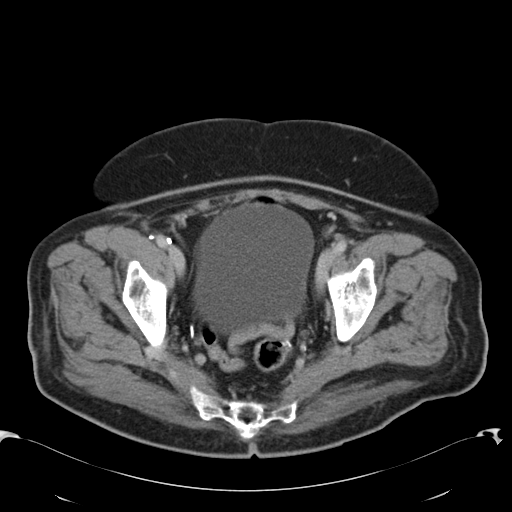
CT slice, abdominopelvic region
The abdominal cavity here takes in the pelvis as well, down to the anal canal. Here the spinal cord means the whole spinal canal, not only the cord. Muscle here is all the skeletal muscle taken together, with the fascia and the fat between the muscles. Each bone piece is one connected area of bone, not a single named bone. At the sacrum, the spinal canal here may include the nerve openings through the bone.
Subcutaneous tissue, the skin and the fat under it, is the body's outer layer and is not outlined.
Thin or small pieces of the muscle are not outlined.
{"muscle":[[[248,188],[315,196],[446,252],[458,277],[448,312],[454,342],[427,382],[315,429],[253,438],[271,421],[295,420],[299,401],[274,398],[325,352],[330,305],[345,343],[378,293],[370,256],[330,273],[366,237],[345,217],[258,193],[154,235],[175,273],[167,301],[167,285],[135,258],[120,296],[150,347],[166,347],[167,325],[172,349],[223,396],[191,385],[198,416],[248,439],[170,425],[71,388],[46,264],[57,242]]],"bones":[[[364,257],[370,257],[374,261],[375,264],[374,266],[374,280],[377,288],[375,302],[363,325],[350,339],[345,342],[341,342],[337,339],[336,336],[335,317],[333,312],[332,302],[330,299],[330,295],[328,291],[327,279],[332,273],[338,273],[352,270]],[[132,259],[137,260],[140,263],[142,267],[153,278],[162,281],[167,287],[167,299],[166,300],[166,333],[164,338],[166,345],[165,347],[161,350],[150,346],[150,344],[124,305],[121,298],[122,291],[123,290],[123,285],[126,277],[127,264],[128,262]],{"outer":[[191,386],[195,386],[211,396],[235,400],[253,400],[265,403],[275,402],[277,404],[282,400],[286,403],[297,400],[295,418],[289,423],[284,423],[277,419],[271,420],[251,438],[243,438],[229,422],[220,417],[210,420],[202,419],[192,403],[189,390]],"hole":[[241,414],[246,414],[247,415],[250,415],[251,414],[254,414],[254,418],[253,419],[251,419],[250,420],[249,420],[248,421],[245,421],[243,419],[242,419],[241,418],[240,418],[239,417],[239,415],[240,415]]}],"torso":[[[211,117],[342,122],[390,140],[418,162],[440,196],[430,218],[466,249],[481,275],[488,349],[471,389],[425,401],[339,446],[270,458],[206,457],[143,444],[39,391],[27,344],[26,272],[33,248],[62,223],[102,205],[90,186],[120,149],[154,131]]],"abdominal_cavity":[[[258,194],[277,195],[307,209],[333,210],[365,236],[330,265],[326,279],[331,302],[330,339],[324,352],[295,372],[273,401],[267,402],[224,397],[204,370],[173,349],[168,336],[167,302],[172,297],[176,273],[170,256],[154,241],[159,232],[190,216]]],"spinal_cord":[[[241,414],[246,414],[247,415],[250,415],[251,414],[254,414],[254,418],[253,419],[251,419],[250,420],[249,420],[248,421],[245,421],[243,419],[242,419],[241,418],[240,418],[239,417],[239,415],[240,415]]]}